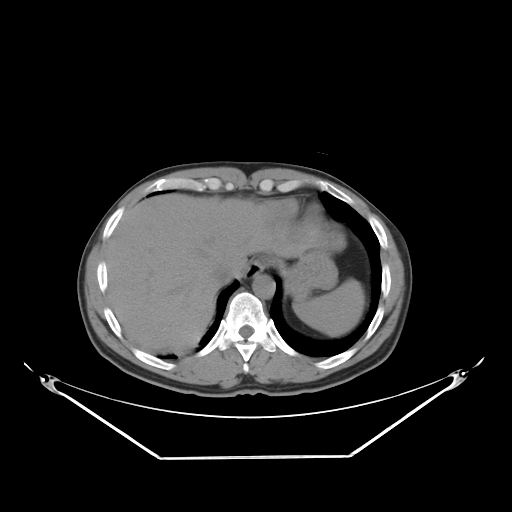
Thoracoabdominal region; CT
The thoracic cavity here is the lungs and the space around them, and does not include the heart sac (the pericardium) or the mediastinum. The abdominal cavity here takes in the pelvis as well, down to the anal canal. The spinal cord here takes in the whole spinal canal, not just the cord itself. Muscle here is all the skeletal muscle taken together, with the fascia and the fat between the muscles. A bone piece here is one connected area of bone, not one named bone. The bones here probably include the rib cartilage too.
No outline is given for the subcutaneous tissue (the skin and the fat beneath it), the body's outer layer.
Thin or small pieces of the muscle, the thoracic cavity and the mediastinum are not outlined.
{"mediastinum":[[[260,254],[271,254],[278,257],[283,265],[286,275],[285,288],[281,299],[281,280],[279,277],[275,277],[275,292],[268,315],[261,300],[249,291],[240,291],[234,294],[228,301],[231,294],[238,288],[239,282],[237,279],[245,270],[247,264],[253,257]],[[305,188],[320,192],[319,198],[321,200],[322,204],[316,197],[314,197],[313,195],[311,195],[309,193],[285,195],[270,195],[262,197],[255,197],[253,199],[249,195],[244,193],[231,191],[237,189],[238,190],[250,190],[258,194],[264,195],[276,195],[277,194],[284,194],[298,189]]],"muscle":[[[219,166],[238,168],[247,176],[264,168],[315,175],[355,194],[384,222],[400,254],[405,288],[396,325],[373,353],[308,382],[259,383],[244,374],[238,384],[223,388],[183,382],[150,371],[118,354],[97,336],[86,309],[85,265],[108,217],[101,235],[106,240],[103,259],[96,266],[98,287],[105,292],[109,304],[102,309],[103,315],[120,340],[124,339],[123,334],[135,346],[130,348],[134,356],[150,366],[169,371],[176,364],[167,360],[192,353],[203,357],[232,344],[242,357],[246,374],[258,345],[270,353],[278,348],[292,357],[303,354],[324,358],[313,364],[326,370],[348,360],[358,350],[354,344],[364,334],[363,340],[367,341],[376,331],[384,316],[380,296],[385,299],[391,287],[390,267],[380,257],[380,249],[389,247],[386,232],[373,214],[365,218],[353,207],[355,201],[347,193],[325,179],[294,178],[275,184],[264,178],[258,183],[261,192],[258,193],[235,189],[231,181],[224,183],[215,176],[159,177],[143,189],[145,195],[125,210],[121,205],[111,213],[128,193],[146,181],[178,170]]],"spinal_cord":[[[245,325],[248,325],[249,326],[250,326],[253,329],[253,332],[248,337],[247,337],[246,338],[245,338],[244,337],[243,337],[239,333],[239,330],[240,329],[240,328],[241,327],[242,327],[243,326],[244,326]]],"thoracic_cavity":[[[321,192],[348,204],[366,219],[378,241],[381,263],[378,305],[365,332],[352,346],[327,357],[296,350],[283,338],[269,315],[276,277],[281,284],[283,320],[300,336],[316,342],[340,340],[354,332],[368,314],[372,300],[368,250],[346,221],[328,213]],[[235,280],[237,280],[238,286],[237,288],[230,294],[227,300],[224,314],[221,318],[214,334],[205,345],[196,352],[192,352],[194,351],[194,349],[196,346],[198,345],[202,337],[214,322],[214,320],[217,314],[217,303],[220,293]],[[173,189],[180,189],[177,189],[176,190],[173,190],[172,191],[169,191],[168,192],[165,192],[164,193],[161,193],[160,194],[151,195],[137,201],[144,196],[148,194],[150,194],[153,192],[158,192],[159,191],[163,191],[164,190],[172,190]]],"abdominal_cavity":[[[181,189],[244,194],[292,232],[316,229],[327,216],[346,222],[363,242],[370,262],[371,300],[363,322],[332,341],[294,331],[281,309],[284,265],[278,256],[260,253],[219,293],[213,322],[191,353],[154,355],[136,347],[108,301],[106,242],[133,204]]],"bones":[{"outer":[[245,291],[260,300],[279,334],[292,348],[300,353],[299,355],[289,355],[278,347],[275,351],[270,352],[258,344],[247,362],[249,369],[246,373],[243,370],[243,357],[232,343],[223,350],[217,347],[203,356],[196,356],[195,354],[215,334],[230,299]],"hole":[[245,325],[248,325],[249,326],[250,326],[253,329],[253,332],[248,337],[247,337],[246,338],[245,338],[244,337],[243,337],[239,333],[239,330],[240,329],[240,328],[241,327],[242,327],[243,326],[244,326]]},[[168,177],[184,177],[196,180],[215,177],[220,179],[224,184],[226,182],[231,182],[235,188],[230,191],[225,190],[223,187],[215,191],[209,189],[204,191],[196,191],[185,188],[173,188],[153,191],[145,194],[144,189],[155,180],[159,178]],[[264,179],[272,180],[275,185],[294,179],[307,179],[310,182],[317,179],[325,180],[347,194],[354,201],[354,203],[352,206],[326,191],[320,191],[311,182],[308,182],[302,187],[287,192],[279,192],[273,188],[269,193],[264,194],[259,188],[259,183]],[[132,347],[135,347],[140,350],[142,350],[151,355],[153,355],[165,361],[167,361],[171,363],[174,363],[175,364],[175,366],[172,369],[166,370],[165,369],[162,369],[161,368],[150,365],[140,360],[137,357],[136,357],[131,350],[131,348]],[[353,346],[355,346],[357,347],[357,350],[348,359],[347,359],[345,361],[333,367],[324,369],[323,368],[319,368],[315,366],[314,364],[316,362],[318,361],[320,361],[325,358],[327,358],[328,357],[330,357],[331,356],[336,355],[339,353],[341,353]],[[369,214],[371,214],[373,215],[379,221],[379,222],[381,224],[385,232],[385,234],[387,238],[387,243],[388,244],[388,247],[385,249],[384,248],[382,248],[380,246],[380,244],[377,238],[377,236],[375,234],[372,227],[367,220],[367,216]],[[121,206],[123,206],[124,207],[124,211],[121,217],[117,222],[115,227],[113,229],[110,235],[106,239],[103,239],[102,237],[102,235],[103,234],[103,231],[104,230],[104,228],[106,225],[106,223],[110,215],[117,208]],[[105,307],[108,307],[111,309],[115,318],[117,320],[121,328],[121,332],[122,333],[122,336],[123,337],[123,339],[122,340],[120,339],[113,332],[113,331],[110,328],[105,318],[105,316],[104,315],[104,312],[103,311],[103,309]],[[379,305],[381,305],[383,307],[383,316],[382,317],[382,319],[379,325],[377,327],[375,331],[372,334],[372,335],[367,340],[365,341],[364,340],[365,333]],[[382,263],[386,263],[388,265],[388,266],[389,267],[389,271],[390,272],[390,287],[389,288],[389,291],[388,292],[388,294],[387,295],[387,296],[385,298],[384,298],[383,297],[383,296],[382,295],[382,294],[381,293],[381,283],[382,282]],[[102,260],[103,260],[105,263],[105,268],[106,269],[106,279],[107,280],[107,285],[106,286],[106,288],[105,289],[105,291],[104,292],[102,292],[101,291],[101,290],[99,287],[99,284],[98,283],[98,280],[97,279],[97,266],[98,265],[98,263]]],"pericardium":[[[296,194],[309,194],[311,196],[313,196],[314,198],[316,198],[323,206],[326,215],[325,221],[321,225],[307,231],[292,231],[291,229],[290,230],[278,225],[258,206],[254,200],[255,198],[262,198],[270,196],[285,196],[286,195],[295,195]]],"torso":[[[213,160],[278,161],[322,170],[356,189],[396,225],[409,250],[412,292],[401,335],[387,359],[345,383],[314,393],[216,398],[179,393],[144,382],[124,373],[96,351],[85,331],[76,291],[81,254],[95,226],[112,203],[147,174],[171,165]]]}